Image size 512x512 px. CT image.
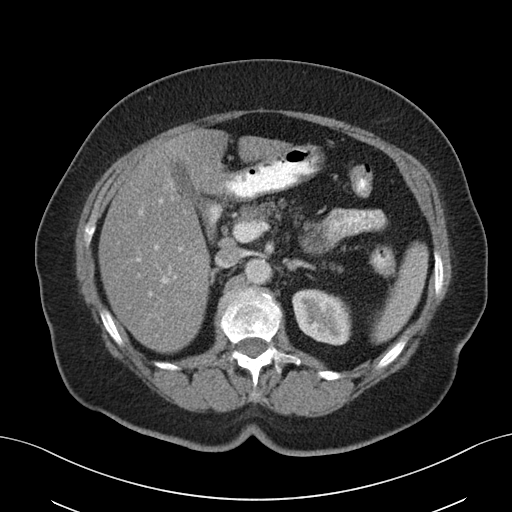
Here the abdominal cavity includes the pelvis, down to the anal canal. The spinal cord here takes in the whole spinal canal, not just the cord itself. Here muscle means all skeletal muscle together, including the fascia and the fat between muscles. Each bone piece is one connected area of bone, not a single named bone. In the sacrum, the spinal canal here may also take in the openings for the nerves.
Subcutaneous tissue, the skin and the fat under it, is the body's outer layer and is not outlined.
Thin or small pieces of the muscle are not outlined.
{"torso":[[[252,58],[344,69],[376,80],[417,105],[454,148],[487,239],[487,302],[460,351],[450,389],[417,423],[345,452],[284,455],[254,436],[227,451],[198,451],[90,410],[72,397],[60,377],[41,305],[36,232],[53,191],[98,120],[124,96],[160,77]]],"abdominal_cavity":[[[251,113],[305,120],[379,149],[395,163],[427,222],[433,272],[419,315],[391,347],[351,370],[328,369],[296,348],[281,307],[261,287],[247,286],[223,312],[216,312],[209,348],[171,362],[149,359],[134,347],[98,292],[92,239],[128,172],[176,134]]],"bones":[{"outer":[[249,286],[267,292],[281,309],[281,321],[271,341],[273,345],[279,351],[293,354],[301,360],[299,365],[280,363],[280,373],[272,364],[263,366],[257,379],[255,401],[249,398],[254,389],[251,374],[235,360],[229,359],[234,347],[219,325],[229,303]],"hole":[[245,338],[260,338],[261,339],[262,339],[265,342],[265,343],[266,344],[266,348],[261,353],[260,353],[257,356],[256,356],[255,357],[251,357],[250,356],[249,356],[248,355],[241,352],[239,350],[239,349],[238,348],[238,343],[241,340],[242,340]]},[[101,306],[105,306],[110,312],[113,318],[114,323],[117,328],[117,330],[120,336],[123,340],[123,345],[121,346],[118,345],[113,340],[113,339],[110,336],[110,335],[105,329],[103,325],[102,320],[100,317],[100,314],[99,313]],[[403,336],[407,336],[407,341],[406,342],[403,349],[398,355],[398,356],[388,365],[387,365],[384,367],[381,367],[380,368],[376,368],[376,365],[382,358],[382,357],[386,353],[386,352],[390,348],[391,348],[392,347],[392,346],[400,338],[401,338]],[[434,250],[436,250],[439,253],[439,254],[441,257],[441,260],[442,261],[442,265],[443,266],[443,284],[442,285],[442,289],[441,290],[441,292],[438,295],[436,295],[435,294],[435,289],[434,288],[434,254],[433,253],[433,252],[434,251]],[[92,214],[96,219],[95,221],[95,230],[93,233],[93,235],[92,236],[91,241],[88,247],[86,247],[85,246],[85,244],[84,243],[84,240],[83,239],[83,235],[84,234],[84,228],[85,227],[85,225],[86,223],[88,221],[88,220],[90,218]],[[319,370],[333,370],[334,371],[337,371],[338,372],[341,372],[344,375],[342,377],[341,377],[340,378],[338,378],[337,379],[332,379],[331,380],[328,380],[327,379],[325,379],[324,378],[320,378],[317,375],[317,371],[318,371]],[[154,360],[156,360],[157,361],[164,361],[165,362],[169,362],[170,363],[175,364],[176,365],[179,366],[180,367],[180,369],[178,369],[177,370],[169,370],[168,369],[164,369],[163,368],[160,368],[159,367],[154,365],[154,364],[152,361],[153,361]]],"muscle":[{"outer":[[259,107],[269,109],[283,109],[292,111],[300,111],[331,117],[347,122],[352,125],[358,126],[376,134],[382,139],[394,144],[411,154],[427,168],[433,176],[433,178],[437,184],[437,187],[439,189],[439,196],[443,203],[446,228],[448,233],[449,246],[451,253],[450,258],[452,269],[451,281],[449,284],[445,298],[443,299],[436,311],[435,315],[431,320],[426,333],[421,337],[420,343],[415,352],[403,367],[369,387],[358,396],[348,403],[346,403],[340,408],[331,413],[318,417],[305,417],[304,416],[298,416],[294,414],[289,416],[288,415],[281,415],[261,406],[257,407],[243,406],[240,408],[223,413],[217,413],[213,411],[209,411],[207,413],[198,413],[186,410],[167,401],[156,392],[151,390],[132,371],[110,354],[105,347],[100,335],[100,328],[95,323],[90,309],[86,305],[82,295],[80,294],[78,290],[78,281],[76,279],[75,274],[75,236],[78,221],[87,196],[95,183],[111,164],[120,156],[126,153],[135,146],[151,138],[158,133],[174,126],[214,113],[220,113],[232,110],[255,109]],"hole":[[251,113],[277,113],[312,122],[386,154],[425,217],[432,247],[443,266],[441,292],[435,294],[431,274],[419,315],[399,337],[407,336],[403,349],[384,367],[376,368],[384,351],[371,361],[343,370],[340,378],[320,378],[317,371],[328,367],[290,342],[282,318],[271,341],[279,351],[297,356],[301,363],[282,362],[280,373],[272,364],[263,366],[255,401],[249,398],[254,389],[250,372],[229,359],[234,347],[219,325],[221,309],[214,317],[213,343],[201,353],[173,360],[180,369],[154,365],[128,340],[115,319],[123,340],[123,345],[118,345],[100,317],[100,308],[106,305],[96,284],[92,242],[86,247],[83,239],[92,214],[98,223],[128,172],[153,148],[176,134]]}],"spinal_cord":[[[245,338],[260,338],[261,339],[262,339],[265,342],[265,343],[266,344],[266,348],[261,353],[260,353],[257,356],[256,356],[255,357],[251,357],[250,356],[249,356],[248,355],[241,352],[239,350],[239,349],[238,348],[238,343],[241,340],[242,340]]]}